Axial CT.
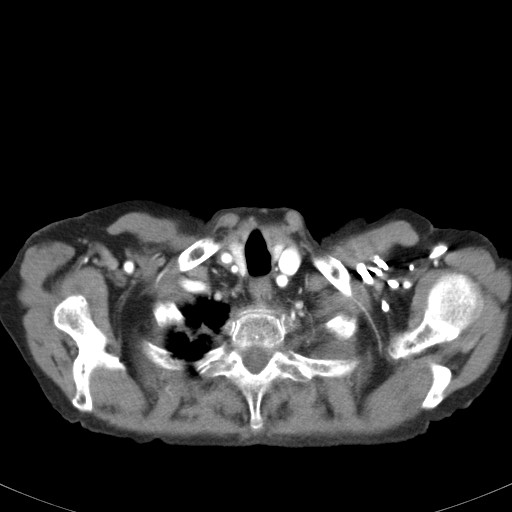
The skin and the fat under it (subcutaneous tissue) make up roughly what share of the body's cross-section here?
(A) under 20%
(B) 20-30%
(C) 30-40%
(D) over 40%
Answer: (A) under 20%
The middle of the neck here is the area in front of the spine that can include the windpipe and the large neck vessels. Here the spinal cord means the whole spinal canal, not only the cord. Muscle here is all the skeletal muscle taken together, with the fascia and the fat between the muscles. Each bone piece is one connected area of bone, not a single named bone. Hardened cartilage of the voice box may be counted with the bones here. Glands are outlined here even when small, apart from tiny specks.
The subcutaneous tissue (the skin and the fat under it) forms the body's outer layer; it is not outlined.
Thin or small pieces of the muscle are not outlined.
The middle of the neck appears in 2 outlined pieces: piece 1: 252 226; 269 237; 274 263; 291 249; 302 261; 289 287; 270 303; 247 304; 233 312; 215 346; 190 363; 198 375; 191 377; 189 364; 164 347; 168 332; 183 322; 179 307; 204 293; 209 265; 223 252; 229 251; 245 273; 240 241; piece 2: 295 318; 296 324; 300 326; 301 324; 304 324; 305 326; 306 325; 309 326; 316 332; 317 331; 319 332; 321 334; 320 335; 322 342; 311 349; 302 349; 300 347; 300 343; 296 339; 295 336; 296 335; 293 331; 295 327; 293 321. The right arm is outlined by 53 221; 55 221; 54 234; 53 235; 53 245; 50 254; 50 259; 49 260; 48 270; 47 271; 47 275; 45 281; 45 286; 42 291; 42 293; 32 305; 5 329; 0 322; 0 275; 13 262; 18 250; 28 236; 35 230. The thyroid glands appear in 2 outlined pieces: piece 1: 234 240; 236 240; 238 242; 239 242; 239 243; 241 244; 243 248; 243 258; 244 259; 244 273; 243 274; 242 274; 240 269; 236 265; 230 253; 229 244; 232 241; piece 2: 278 242; 280 242; 281 243; 282 243; 283 244; 284 247; 282 249; 282 251; 280 254; 280 256; 278 258; 278 259; 275 262; 274 262; 273 261; 273 256; 272 255; 272 252; 271 251; 271 249; 270 248; 274 244; 275 244. The bones appear in 9 outlined pieces: piece 1: 247 305; 265 305; 288 314; 294 327; 285 342; 294 351; 312 358; 355 358; 358 364; 341 377; 314 376; 305 382; 274 380; 260 402; 262 426; 253 430; 248 403; 240 389; 223 375; 199 375; 191 364; 226 339; 222 326; 237 309 with a hole at 252 348; 256 348; 257 349; 260 349; 264 351; 268 355; 269 355; 265 365; 263 367; 263 368; 262 368; 261 370; 260 370; 257 373; 253 373; 251 372; 245 366; 243 362; 243 354; 244 352; 246 352; 248 350; piece 2: 452 272; 467 275; 478 288; 483 300; 483 305; 478 316; 457 337; 450 341; 437 343; 418 354; 412 354; 398 359; 392 358; 388 352; 392 342; 399 335; 404 332; 411 331; 420 324; 424 316; 427 297; 431 287; 443 276; piece 3: 70 294; 84 296; 91 319; 107 338; 105 350; 117 356; 125 367; 124 372; 104 367; 97 367; 92 371; 89 380; 92 410; 89 412; 78 410; 71 402; 76 392; 72 367; 78 348; 74 340; 66 332; 56 327; 53 322; 55 307; piece 4: 325 254; 329 254; 335 257; 337 259; 338 259; 347 269; 349 273; 349 275; 350 276; 350 287; 351 288; 351 296; 347 296; 343 294; 338 289; 337 289; 314 266; 314 265; 312 263; 312 257; 313 256; 322 256; piece 5: 207 236; 209 237; 212 237; 214 238; 215 240; 221 242; 222 243; 221 247; 216 252; 202 261; 193 268; 186 270; 185 271; 183 271; 182 272; 180 271; 178 268; 178 265; 177 264; 177 258; 179 254; 196 240; 203 237; 206 237; piece 6: 430 362; 437 363; 438 364; 443 365; 449 368; 449 369; 451 371; 451 378; 448 385; 445 388; 443 392; 444 398; 435 407; 431 409; 424 409; 421 407; 421 403; 424 399; 432 383; 432 373; 429 366; 429 363; piece 7: 144 340; 149 341; 157 346; 165 348; 167 350; 168 350; 171 353; 171 355; 175 358; 183 359; 186 362; 184 365; 183 369; 180 369; 179 370; 167 369; 166 368; 161 367; 151 361; 147 357; 147 356; 142 350; 142 342; piece 8: 158 300; 160 300; 161 301; 171 300; 173 301; 184 316; 184 317; 182 319; 182 322; 178 324; 175 327; 171 327; 170 328; 167 328; 166 329; 165 328; 162 328; 160 327; 157 324; 156 320; 154 317; 153 312; 152 311; 154 303; piece 9: 339 313; 344 314; 349 317; 354 316; 356 317; 357 319; 357 329; 356 331; 350 337; 349 337; 347 339; 339 339; 337 338; 332 333; 330 333; 328 332; 324 328; 324 327; 322 326; 322 325; 326 321; 334 317. The torso is outlined by 130 199; 152 199; 206 218; 221 208; 288 206; 302 214; 316 239; 358 215; 372 221; 398 207; 412 209; 434 225; 452 309; 504 359; 466 409; 401 443; 327 449; 184 447; 91 432; 50 406; 5 330; 43 293; 56 221. The spinal cord is outlined by 252 348; 256 348; 257 349; 260 349; 264 351; 268 355; 269 355; 265 365; 263 367; 263 368; 262 368; 261 370; 260 370; 257 373; 253 373; 251 372; 245 366; 243 362; 243 354; 244 352; 246 352; 248 350. The left arm is outlined by 435 226; 437 227; 466 228; 476 230; 485 235; 496 246; 497 249; 501 253; 506 253; 511 256; 511 345; 505 357; 480 336; 465 326; 460 320; 459 316; 453 309; 449 301; 444 274; 439 265; 439 259; 437 254; 438 243. The muscle is outlined by 132 211; 178 219; 192 232; 226 212; 267 221; 293 211; 319 246; 405 220; 420 236; 411 248; 418 256; 481 246; 506 266; 504 333; 485 371; 446 397; 452 371; 430 361; 420 407; 431 410; 380 434; 241 440; 118 429; 80 412; 93 410; 95 369; 126 371; 85 296; 70 293; 52 311; 77 348; 70 402; 29 351; 17 291; 30 246; 61 241; 78 256; 99 242; 115 253; 105 228 with holes at 252 226; 302 259; 267 305; 322 342; 302 349; 292 331; 287 346; 359 361; 341 377; 274 380; 256 430; 230 379; 191 377; 187 362; 167 369; 142 350; 144 340; 164 347; 171 329; 157 324; 154 303; 192 303; 210 281; 209 265 and at 452 272; 467 275; 478 288; 483 300; 483 305; 478 316; 457 337; 450 341; 437 343; 418 354; 412 354; 398 359; 392 358; 388 352; 392 342; 399 335; 404 332; 411 331; 420 324; 424 316; 427 297; 431 287; 443 276 and at 325 254; 329 254; 335 257; 337 259; 338 259; 347 269; 349 273; 349 275; 350 276; 350 287; 351 288; 351 296; 347 296; 343 294; 338 289; 337 289; 314 266; 314 265; 312 263; 312 257; 313 256; 322 256 and at 207 236; 209 237; 212 237; 214 238; 215 240; 221 242; 222 243; 221 247; 216 252; 202 261; 193 268; 186 270; 185 271; 183 271; 182 272; 180 271; 178 268; 178 265; 177 264; 177 258; 179 254; 196 240; 203 237; 206 237 and at 339 313; 344 314; 349 317; 354 316; 356 317; 357 319; 357 329; 356 331; 350 337; 349 337; 347 339; 339 339; 337 338; 332 333; 330 333; 328 332; 324 328; 324 327; 322 326; 322 325; 326 321; 334 317.